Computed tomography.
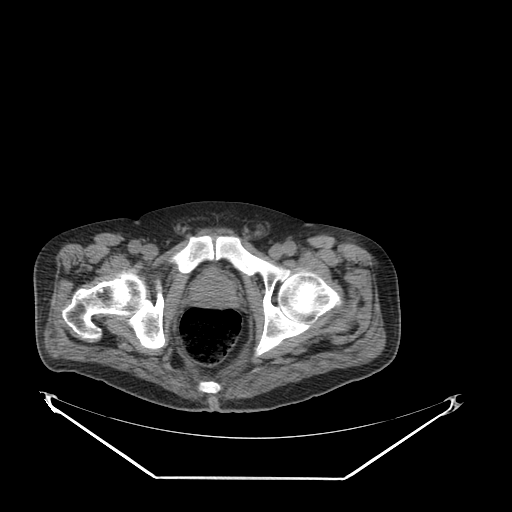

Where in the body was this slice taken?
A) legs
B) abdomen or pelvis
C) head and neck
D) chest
B) abdomen or pelvis
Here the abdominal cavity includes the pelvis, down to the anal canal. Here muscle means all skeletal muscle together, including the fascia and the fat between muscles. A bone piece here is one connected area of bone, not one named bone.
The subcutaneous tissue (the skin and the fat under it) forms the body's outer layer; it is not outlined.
Outlines:
torso: [[197,200],[255,203],[307,222],[346,228],[378,243],[398,275],[401,336],[394,359],[380,371],[327,393],[271,410],[240,413],[173,409],[100,380],[48,369],[39,357],[34,333],[32,272],[41,247],[54,235],[75,226],[119,217],[136,219],[157,208]]
abdominal cavity: [[223,259],[229,262],[235,269],[243,275],[242,276],[247,299],[251,329],[248,341],[243,351],[230,363],[212,375],[206,373],[198,368],[186,353],[177,334],[177,325],[178,317],[181,309],[185,304],[184,296],[189,274],[201,263],[205,261],[218,261]]
bones 1: [[202,235],[237,236],[241,244],[258,257],[293,273],[301,269],[314,272],[340,295],[342,303],[321,315],[303,332],[255,357],[254,349],[264,325],[265,287],[261,276],[243,274],[223,258],[205,260],[189,273],[180,272],[169,261],[187,244],[190,236]]
bones 2: [[122,270],[138,275],[145,282],[148,297],[153,301],[156,295],[154,280],[160,280],[164,346],[156,349],[142,346],[126,320],[116,314],[99,313],[92,316],[102,332],[98,339],[92,341],[78,337],[64,321],[61,311],[78,288],[94,286],[111,279]]
bones 3: [[208,380],[212,380],[213,381],[215,381],[216,382],[217,382],[221,386],[221,388],[220,389],[220,390],[216,393],[208,393],[207,392],[202,392],[201,391],[198,390],[198,389],[197,388],[197,385],[198,384],[198,383],[201,381],[207,381]]
muscle: [[216,226],[235,230],[241,237],[275,260],[291,258],[310,237],[320,234],[342,237],[365,248],[377,262],[376,283],[385,331],[385,345],[377,357],[364,364],[336,368],[248,398],[200,401],[184,398],[157,384],[106,365],[70,359],[57,359],[48,354],[44,346],[44,330],[48,320],[50,300],[55,280],[55,257],[65,244],[88,234],[102,232],[120,233],[133,255],[141,259],[152,260],[158,258],[183,240],[193,230]], around holes outlined by [[202,235],[237,236],[258,257],[293,273],[301,269],[314,272],[340,295],[342,303],[303,332],[255,357],[264,325],[265,287],[258,273],[244,274],[251,328],[248,341],[230,363],[212,375],[206,373],[186,353],[177,334],[189,274],[169,261],[190,236]] and by [[122,270],[138,275],[145,282],[148,297],[153,301],[156,295],[154,280],[160,280],[164,346],[156,349],[142,346],[126,320],[116,314],[99,313],[92,316],[102,332],[98,339],[92,341],[78,337],[64,321],[61,311],[78,288],[94,286],[111,279]] and by [[208,380],[212,380],[213,381],[215,381],[216,382],[217,382],[221,386],[221,388],[220,389],[220,390],[216,393],[208,393],[207,392],[202,392],[201,391],[198,390],[198,389],[197,388],[197,385],[198,384],[198,383],[201,381],[207,381]]